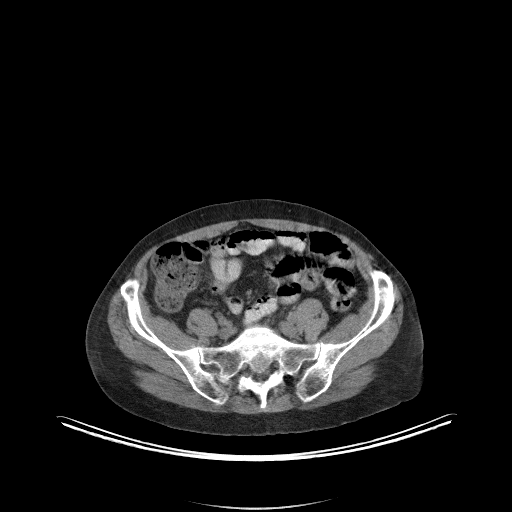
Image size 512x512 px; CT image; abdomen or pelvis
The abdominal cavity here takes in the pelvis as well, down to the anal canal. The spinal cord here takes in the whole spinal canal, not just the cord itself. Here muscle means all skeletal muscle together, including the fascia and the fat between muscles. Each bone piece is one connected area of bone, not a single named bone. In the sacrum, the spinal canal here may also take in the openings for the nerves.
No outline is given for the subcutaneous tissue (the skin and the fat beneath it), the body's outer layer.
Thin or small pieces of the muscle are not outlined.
The spinal cord is outlined by 275 362; 277 363; 277 368; 275 369; 273 372; 270 372; 267 377; 261 381; 260 380; 256 380; 253 376; 250 375; 249 376; 246 376; 243 374; 243 371; 246 369; 247 366; 248 366; 254 373; 258 373; 259 374; 268 370; 271 364. The torso is outlined by 252 198; 297 202; 334 215; 363 233; 398 269; 414 295; 424 338; 424 382; 414 398; 328 429; 302 433; 235 436; 174 429; 134 415; 116 405; 104 394; 88 365; 85 352; 86 324; 97 297; 128 252; 146 234; 183 213; 209 204. The muscle appears in 2 outlined pieces: piece 1: 388 274; 400 288; 403 317; 393 343; 377 360; 377 375; 359 393; 312 409; 257 414; 210 412; 160 399; 131 382; 133 363; 115 345; 107 323; 109 302; 119 286; 131 327; 172 359; 192 389; 203 398; 217 406; 223 405; 229 397; 225 386; 235 378; 236 389; 253 393; 259 407; 264 409; 269 391; 284 385; 286 376; 300 373; 295 394; 307 403; 328 389; 341 358; 390 316; 396 291; piece 2: 243 218; 287 219; 329 227; 347 236; 371 254; 384 270; 369 268; 367 271; 372 283; 373 304; 368 318; 360 329; 340 342; 321 340; 308 342; 296 322; 295 312; 299 304; 307 298; 318 300; 328 315; 327 327; 319 334; 320 336; 347 314; 356 314; 366 300; 368 284; 357 268; 356 253; 343 238; 327 230; 286 230; 240 222; 217 235; 191 240; 171 239; 153 250; 145 265; 147 278; 143 292; 151 313; 171 320; 183 332; 186 329; 188 315; 194 308; 205 309; 217 324; 217 333; 208 338; 210 343; 207 345; 198 344; 178 349; 161 340; 143 317; 138 296; 139 279; 129 277; 124 280; 126 275; 156 243; 200 227. The bones are outlined by 369 269; 392 281; 389 316; 340 358; 324 392; 303 402; 301 373; 286 375; 264 408; 235 377; 223 404; 200 395; 132 327; 120 292; 125 280; 138 279; 142 317; 173 349; 222 346; 256 324; 295 343; 340 343; 371 314; inner edge: 275 362; 277 363; 277 368; 275 369; 273 372; 270 372; 267 377; 261 381; 260 380; 256 380; 253 376; 250 375; 249 376; 246 376; 243 374; 243 371; 246 369; 247 366; 248 366; 254 373; 258 373; 259 374; 268 370; 271 364. The abdominal cavity is outlined by 240 223; 327 231; 343 239; 367 284; 358 311; 320 335; 329 315; 318 299; 307 297; 294 312; 307 342; 289 340; 256 323; 216 346; 208 345; 218 324; 205 308; 189 311; 184 331; 153 314; 144 292; 154 250; 171 240; 217 236.